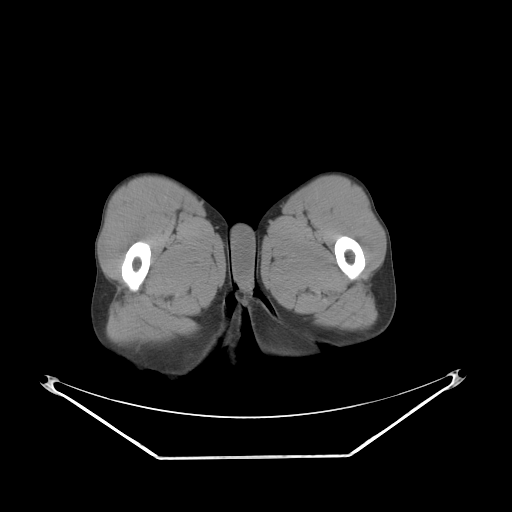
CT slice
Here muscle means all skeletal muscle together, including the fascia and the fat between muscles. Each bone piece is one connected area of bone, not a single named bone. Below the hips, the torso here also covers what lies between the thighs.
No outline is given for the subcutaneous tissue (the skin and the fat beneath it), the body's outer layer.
{"left_leg":[[[326,170],[341,170],[361,180],[388,228],[396,284],[395,312],[386,330],[369,341],[344,348],[327,347],[323,354],[315,357],[282,360],[268,358],[258,350],[245,309],[254,293],[260,295],[256,287],[256,226],[266,210],[278,199],[311,176]]],"bones":[[[139,240],[147,242],[150,246],[150,250],[151,251],[150,265],[149,266],[149,269],[147,272],[147,274],[142,283],[139,286],[138,289],[135,291],[132,291],[128,287],[122,278],[122,276],[121,275],[121,265],[122,264],[125,253],[128,248],[134,242]],[[340,235],[347,235],[355,239],[361,246],[363,253],[364,254],[364,257],[365,258],[365,266],[363,270],[358,275],[358,276],[355,279],[353,279],[352,280],[350,279],[340,269],[336,262],[336,258],[334,253],[334,244],[336,239]]],"torso":[[[236,221],[245,221],[249,223],[253,228],[255,227],[255,287],[253,291],[253,294],[251,300],[245,308],[242,306],[239,301],[234,296],[234,292],[233,291],[234,283],[233,282],[233,275],[232,274],[232,267],[231,266],[229,231],[230,230],[231,224]]],"right_leg":[[[143,170],[156,170],[177,178],[208,201],[230,224],[233,294],[227,298],[227,309],[233,310],[235,298],[244,309],[239,363],[223,375],[201,369],[170,382],[156,371],[137,371],[104,348],[93,332],[90,303],[96,275],[94,240],[103,204],[117,182]]],"muscle":[{"outer":[[148,174],[166,177],[199,197],[224,243],[226,274],[202,330],[195,338],[188,338],[165,344],[114,346],[107,340],[104,331],[108,307],[112,299],[112,286],[106,279],[100,266],[98,242],[112,195],[121,185],[129,180],[137,176]],"hole":[[139,240],[147,242],[150,246],[150,250],[151,251],[150,265],[149,266],[149,269],[147,272],[147,274],[142,283],[139,286],[138,289],[135,291],[132,291],[128,287],[122,278],[122,276],[121,275],[121,265],[122,264],[125,253],[128,248],[134,242]]},{"outer":[[327,174],[345,176],[362,188],[367,196],[372,212],[385,233],[386,252],[384,261],[371,280],[371,289],[375,298],[378,318],[370,328],[362,332],[322,329],[301,319],[277,302],[265,288],[260,275],[261,241],[266,232],[269,216],[295,190],[312,180]],"hole":[[340,235],[347,235],[355,239],[361,246],[363,253],[364,254],[364,257],[365,258],[365,266],[363,270],[358,275],[358,276],[355,279],[353,279],[352,280],[350,279],[340,269],[336,262],[336,258],[334,253],[334,244],[336,239]]}]}